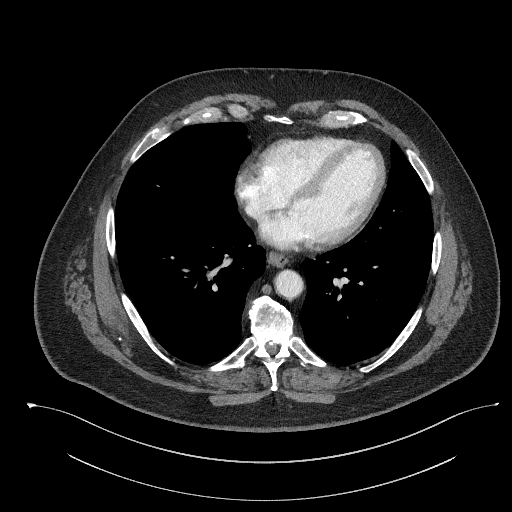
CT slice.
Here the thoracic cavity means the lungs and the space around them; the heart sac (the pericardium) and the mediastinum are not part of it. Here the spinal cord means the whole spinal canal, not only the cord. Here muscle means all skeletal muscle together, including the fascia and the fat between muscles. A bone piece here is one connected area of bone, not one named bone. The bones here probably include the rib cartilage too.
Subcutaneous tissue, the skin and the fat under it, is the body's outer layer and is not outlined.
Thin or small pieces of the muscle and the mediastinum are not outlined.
Outlines (x, y in pixels):
muscle: (216, 406) (251, 403) (258, 401) (263, 397) (274, 392) (279, 392) (286, 398) (298, 402) (331, 403) (338, 393) (352, 391) (364, 386) (370, 385) (374, 382) (395, 375) (400, 372) (410, 369) (416, 365) (423, 363) (445, 341) (448, 334) (462, 315) (468, 303) (469, 296) (472, 291) (471, 265) (467, 254) (467, 249) (464, 244) (464, 237) (461, 227) (457, 221) (448, 200) (444, 195) (442, 188) (434, 176) (432, 169) (421, 153) (420, 149) (413, 140) (395, 124) (390, 122) (376, 109) (365, 102) (353, 98) (337, 98) (333, 100) (329, 100) (324, 98) (315, 98) (314, 99) (311, 98) (293, 99) (292, 98) (288, 100) (282, 100) (280, 98) (263, 96) (260, 94) (243, 93) (242, 92) (226, 92) (223, 94) (206, 95) (171, 111) (151, 125) (126, 151) (120, 162) (118, 169) (113, 179) (107, 187) (99, 204) (98, 209) (96, 211) (93, 230) (81, 240) (80, 243) (70, 254) (66, 266) (66, 273) (63, 279) (64, 303) (68, 307) (68, 310) (75, 322) (94, 347) (98, 351) (109, 356) (122, 366) (146, 380) (187, 392) (208, 393) (210, 395) (209, 397) (210, 401) (213, 405), around a hole outlined by (272, 391) (277, 390) (278, 367) (292, 353) (300, 359) (300, 365) (319, 367) (349, 366) (381, 353) (360, 366) (362, 372) (388, 359) (417, 324) (428, 273) (435, 274) (439, 265) (442, 236) (439, 230) (433, 231) (429, 196) (434, 184) (429, 171) (416, 152) (410, 148) (403, 151) (381, 132) (362, 125) (368, 119) (356, 111) (329, 110) (315, 125) (272, 113) (242, 121) (249, 115) (247, 108) (228, 103) (224, 112) (216, 106) (194, 111) (174, 132) (167, 125) (156, 126) (132, 152) (115, 207) (110, 205) (107, 210) (106, 245) (110, 256) (117, 257) (125, 289) (120, 297) (148, 346) (171, 365) (174, 361) (155, 340) (188, 363) (213, 362) (207, 368) (212, 372) (242, 368) (250, 355) (261, 357) (271, 377)
pericardium: (292, 255) (314, 255) (327, 251) (345, 243) (362, 229) (379, 203) (387, 181) (385, 158) (376, 143) (370, 140) (354, 137) (343, 137) (318, 131) (278, 131) (270, 134) (255, 147) (244, 160) (236, 178) (234, 192) (240, 215) (254, 231) (257, 241) (269, 249) (291, 253)
bones 1: (272, 391) (277, 390) (278, 367) (292, 353) (300, 359) (302, 366) (311, 364) (325, 367) (327, 363) (294, 333) (291, 313) (283, 305) (264, 295) (254, 299) (247, 312) (250, 334) (226, 357) (208, 366) (207, 370) (215, 372) (242, 368) (250, 355) (261, 357) (271, 377); inner edge: (272, 355) (273, 355) (275, 353) (276, 353) (276, 352) (278, 350) (278, 349) (279, 348) (279, 345) (278, 345) (277, 344) (273, 344) (272, 345) (270, 345) (268, 343) (268, 342) (267, 343) (266, 343) (266, 344) (265, 345) (265, 347) (266, 348) (267, 351)
bones 2: (183, 126) (192, 123) (214, 122) (220, 120) (225, 120) (227, 119) (229, 116) (241, 120) (244, 119) (249, 115) (249, 112) (246, 107) (237, 103) (228, 103) (226, 105) (224, 112) (223, 110) (219, 107) (216, 106) (208, 106) (194, 111) (189, 115) (183, 118) (180, 122)
bones 3: (362, 372) (369, 372) (384, 362) (403, 344) (403, 343) (408, 338) (419, 320) (419, 318) (422, 313) (422, 307) (421, 306) (418, 306) (411, 316) (410, 319) (406, 325) (403, 328) (394, 341) (377, 359) (370, 363) (368, 363) (365, 365) (362, 365) (359, 367) (359, 370)
bones 4: (171, 365) (174, 365) (175, 363) (174, 361) (165, 355) (157, 347) (154, 343) (153, 338) (150, 335) (144, 322) (139, 315) (131, 300) (125, 292) (121, 292) (120, 293) (120, 297) (124, 306) (124, 308) (126, 310) (128, 316) (138, 332) (141, 335) (148, 346) (159, 357)
bones 5: (328, 128) (348, 127) (350, 125) (356, 125) (357, 124) (361, 124) (362, 123) (367, 122) (368, 121) (368, 119) (361, 113) (356, 111) (352, 111) (351, 110) (342, 110) (341, 109) (329, 110) (324, 113) (320, 117) (319, 120) (316, 123) (317, 123) (320, 126) (327, 127)
bones 6: (131, 164) (137, 159) (138, 159) (140, 156) (148, 149) (163, 139) (166, 138) (170, 134) (171, 134) (172, 131) (169, 129) (167, 125) (163, 125) (159, 127) (158, 126) (156, 126) (149, 130) (144, 135) (130, 156) (129, 160)
bones 7: (430, 195) (431, 195) (433, 192) (433, 189) (434, 188) (434, 184) (433, 183) (433, 180) (431, 177) (431, 175) (429, 171) (427, 169) (426, 166) (421, 160) (421, 159) (416, 152) (415, 152) (410, 148) (406, 148) (404, 149) (404, 152) (409, 162) (418, 174) (426, 190)
bones 8: (112, 258) (115, 257) (115, 228) (114, 227) (114, 209) (113, 207) (111, 205) (110, 205) (108, 207) (108, 209) (107, 210) (107, 213) (106, 214) (106, 221) (105, 222) (105, 238) (106, 239) (106, 245) (107, 246) (107, 249) (108, 250) (108, 252) (110, 256)
bones 9: (433, 275) (435, 274) (437, 271) (437, 269) (439, 265) (439, 262) (440, 261) (440, 258) (441, 257) (441, 250) (442, 249) (442, 236) (439, 230) (437, 230) (435, 232) (434, 237) (433, 238) (433, 243) (432, 244) (432, 254) (431, 255) (431, 267) (430, 268) (430, 273)
bones 10: (286, 124) (290, 124) (293, 122) (293, 119) (290, 116) (288, 115) (285, 115) (284, 114) (283, 115) (280, 115) (279, 116) (277, 116) (272, 113) (264, 113) (263, 115) (263, 117) (264, 119) (265, 119) (267, 121) (277, 121) (278, 122) (280, 122) (281, 123) (285, 123)
torso: (257, 433) (328, 428) (407, 405) (464, 377) (483, 359) (495, 335) (499, 266) (479, 195) (431, 116) (405, 92) (371, 76) (320, 68) (220, 67) (157, 86) (130, 108) (91, 158) (52, 226) (40, 257) (34, 287) (35, 326) (44, 354) (60, 375) (154, 417) (202, 428)
spinal cord: (272, 355) (273, 355) (275, 353) (276, 353) (276, 352) (278, 350) (278, 349) (279, 348) (279, 345) (278, 345) (277, 344) (273, 344) (272, 345) (270, 345) (268, 343) (268, 342) (267, 343) (266, 343) (266, 344) (265, 345) (265, 347) (266, 348) (267, 351)
thoracic cavity 1: (193, 364) (215, 362) (241, 342) (245, 295) (250, 284) (264, 269) (265, 251) (256, 243) (253, 231) (239, 215) (233, 194) (238, 168) (250, 151) (246, 128) (240, 122) (192, 124) (173, 132) (131, 165) (120, 187) (114, 208) (116, 256) (126, 293) (154, 339) (173, 355)
thoracic cavity 2: (343, 366) (365, 361) (381, 353) (393, 341) (417, 307) (429, 272) (434, 233) (430, 198) (403, 151) (394, 141) (391, 141) (391, 166) (386, 189) (379, 205) (363, 229) (345, 244) (320, 254) (314, 259) (305, 259) (301, 264) (307, 293) (297, 316) (304, 340) (329, 365)
mediastinum 1: (243, 339) (249, 334) (246, 312) (251, 301) (264, 294) (283, 304) (292, 313) (295, 320) (295, 333) (302, 337) (296, 316) (306, 293) (300, 264) (303, 259) (314, 258) (319, 254) (292, 256) (269, 250) (257, 242) (266, 251) (266, 263) (263, 274) (251, 284) (246, 295)
mediastinum 2: (388, 174) (391, 140) (381, 132) (363, 125) (328, 129) (296, 119) (290, 125) (267, 122) (262, 117) (247, 121) (239, 121) (238, 120) (231, 117) (226, 120) (233, 120) (234, 121) (240, 121) (245, 124) (251, 151) (270, 133) (278, 130) (318, 130) (343, 136) (370, 139) (376, 142) (383, 151) (386, 158)